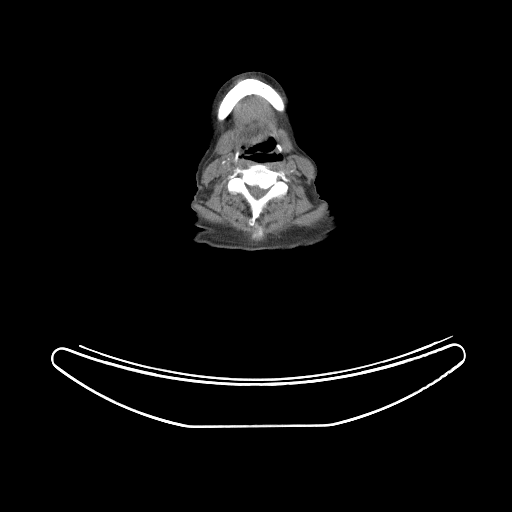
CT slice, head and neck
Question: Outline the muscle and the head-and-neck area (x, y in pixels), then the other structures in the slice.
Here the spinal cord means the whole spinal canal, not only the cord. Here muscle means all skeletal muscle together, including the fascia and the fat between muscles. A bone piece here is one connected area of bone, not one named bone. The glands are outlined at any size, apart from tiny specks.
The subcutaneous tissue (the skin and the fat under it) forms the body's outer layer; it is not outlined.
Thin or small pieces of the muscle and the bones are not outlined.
Answer: {"muscle":[{"outer":[[249,95],[263,98],[279,112],[285,110],[289,137],[282,128],[278,130],[282,147],[290,152],[292,144],[298,154],[310,161],[314,169],[310,197],[314,203],[323,205],[326,210],[326,219],[316,227],[291,229],[276,237],[252,241],[241,232],[206,221],[194,208],[201,195],[202,167],[212,154],[215,145],[218,154],[229,154],[235,145],[234,137],[227,133],[217,141],[219,132],[216,118],[218,121],[223,121],[236,104]],"holes":[[[269,137],[280,145],[282,159],[261,162],[272,170],[282,170],[289,179],[288,189],[282,197],[275,197],[267,202],[252,226],[248,222],[251,209],[244,197],[239,193],[230,193],[227,189],[228,176],[236,167],[246,168],[256,161],[241,157],[245,147]],[[257,226],[260,226],[261,227],[261,228],[262,229],[262,230],[263,231],[263,236],[262,237],[261,237],[260,238],[256,238],[255,239],[254,239],[253,238],[252,238],[252,233],[257,228]]]},[[242,77],[246,77],[238,80],[235,83],[235,84],[233,86],[232,86],[225,93],[225,94],[221,99],[217,107],[217,109],[216,110],[216,113],[215,111],[216,109],[216,105],[219,99],[221,97],[221,96],[226,91],[226,90],[234,81]],[[272,86],[273,86],[275,88],[276,88],[281,93],[281,94],[283,96],[283,97],[284,98],[284,100],[283,99],[283,98],[281,96],[281,95]]],"head_and_neck":[{"outer":[[253,70],[275,78],[291,99],[295,107],[297,143],[316,162],[316,189],[339,222],[333,235],[319,243],[283,251],[245,251],[210,247],[191,240],[198,228],[193,224],[195,217],[190,201],[197,189],[196,168],[207,148],[205,122],[208,109],[226,80]],"hole":[[269,137],[271,137],[275,140],[275,148],[281,155],[282,157],[282,159],[281,160],[276,160],[275,161],[273,161],[272,160],[271,161],[256,161],[255,160],[244,159],[241,157],[241,154],[243,152],[243,149],[245,147],[256,144],[262,140],[267,140]]}],"bones":[{"outer":[[254,162],[264,163],[275,171],[282,170],[289,180],[286,194],[282,197],[275,197],[269,200],[262,209],[255,224],[252,226],[248,222],[251,217],[251,209],[248,203],[241,194],[230,193],[227,189],[227,183],[228,176],[233,173],[236,167],[246,168]],"hole":[[248,186],[258,186],[260,188],[261,188],[262,189],[268,189],[268,190],[265,193],[265,194],[264,194],[262,196],[261,196],[260,197],[259,197],[258,198],[256,198],[255,197],[254,197],[249,192],[249,190],[248,189]]},[[247,77],[256,78],[265,83],[269,84],[280,95],[284,101],[285,109],[283,111],[279,111],[263,97],[257,94],[249,94],[241,98],[235,104],[229,114],[223,120],[218,120],[216,117],[217,110],[222,99],[226,93],[232,87],[233,87],[238,81]],[[257,226],[260,226],[261,227],[261,228],[262,229],[262,230],[263,231],[263,236],[262,237],[261,237],[260,238],[256,238],[255,239],[254,239],[253,238],[252,238],[252,233],[257,228]]],"submandibular_glands":[[[225,134],[227,134],[228,135],[229,135],[230,136],[233,137],[233,139],[234,140],[234,145],[233,146],[232,149],[229,152],[229,153],[218,153],[218,152],[217,151],[216,151],[216,144],[217,143],[218,140],[223,135],[224,135]],[[280,129],[282,129],[284,131],[285,131],[287,134],[287,136],[289,138],[289,141],[291,143],[291,150],[290,151],[287,151],[286,150],[285,150],[283,147],[283,145],[282,144],[282,139],[280,137],[280,135],[279,134],[279,130]]],"spinal_cord":[[[248,186],[258,186],[260,188],[261,188],[262,189],[268,189],[268,190],[265,193],[265,194],[264,194],[262,196],[261,196],[260,197],[259,197],[258,198],[256,198],[255,197],[254,197],[249,192],[249,190],[248,189]]]}